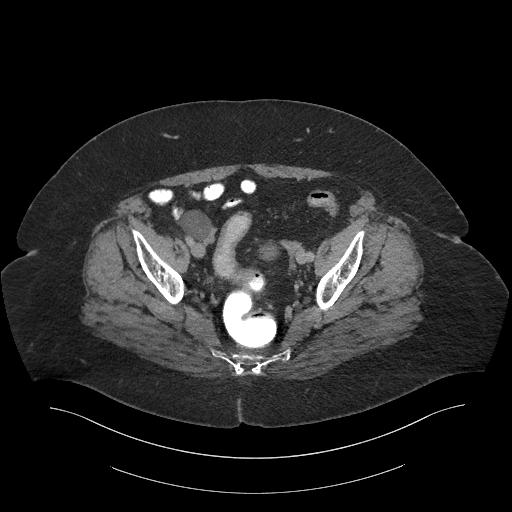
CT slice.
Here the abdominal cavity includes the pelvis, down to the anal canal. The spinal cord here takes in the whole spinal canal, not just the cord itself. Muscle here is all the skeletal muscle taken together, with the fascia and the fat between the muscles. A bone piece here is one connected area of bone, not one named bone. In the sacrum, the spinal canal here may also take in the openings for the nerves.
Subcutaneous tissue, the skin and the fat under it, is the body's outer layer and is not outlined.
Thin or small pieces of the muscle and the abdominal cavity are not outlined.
bones 1: (360, 230) (364, 230) (365, 233) (363, 239) (363, 252) (362, 253) (362, 256) (357, 271) (351, 280) (345, 286) (333, 304) (326, 310) (321, 310) (318, 307) (315, 301) (316, 287) (318, 284) (318, 282) (320, 278) (339, 260) (344, 253) (345, 250) (348, 247) (355, 234)
bones 2: (131, 228) (133, 228) (140, 232) (151, 246) (153, 250) (165, 262) (171, 266) (181, 275) (181, 277) (184, 282) (184, 295) (182, 299) (178, 303) (176, 304) (170, 303) (148, 278) (142, 269) (142, 267) (138, 260) (138, 257) (136, 252) (136, 246) (132, 236)
bones 3: (288, 347) (290, 348) (290, 357) (288, 360) (277, 360) (270, 362) (261, 367) (261, 372) (258, 375) (250, 373) (248, 369) (246, 369) (241, 375) (236, 375) (235, 370) (230, 363) (213, 356) (211, 352) (212, 348) (221, 350) (229, 355) (236, 352) (246, 352) (269, 356)
muscle: (236, 163) (334, 171) (374, 189) (385, 210) (409, 226) (423, 261) (423, 320) (413, 333) (309, 379) (259, 375) (262, 367) (290, 359) (288, 346) (269, 355) (260, 352) (276, 347) (298, 308) (314, 302) (326, 311) (338, 299) (358, 271) (366, 232) (358, 230) (338, 260) (316, 277) (320, 244) (348, 225) (350, 208) (361, 195) (348, 181) (332, 176) (264, 177) (251, 168) (143, 193) (153, 229) (187, 248) (183, 275) (140, 231) (131, 227) (130, 232) (141, 269) (162, 296) (176, 305) (185, 289) (187, 298) (211, 318) (219, 337) (245, 351) (229, 354) (212, 347) (212, 356) (230, 364) (232, 366) (236, 376) (241, 376) (246, 370) (256, 375) (224, 379) (194, 377) (86, 328) (78, 305) (85, 294) (84, 257) (92, 230) (111, 202) (151, 181)
abdominal cavity: (240, 169) (298, 181) (332, 177) (348, 182) (360, 195) (349, 208) (347, 225) (316, 250) (314, 301) (298, 307) (281, 340) (262, 353) (224, 341) (209, 314) (188, 298) (182, 277) (190, 262) (188, 248) (181, 239) (154, 229) (144, 197) (154, 187) (186, 188)
spinal cord: (243, 365) (244, 366) (245, 366) (246, 366) (247, 366) (248, 366) (249, 366) (250, 366) (251, 365) (252, 365) (253, 365) (252, 366) (251, 366) (250, 367) (249, 367) (248, 368) (247, 368) (246, 368) (245, 367) (244, 366) (243, 366)
torso: (258, 98) (311, 102) (360, 117) (404, 144) (442, 183) (467, 219) (461, 239) (488, 259) (508, 289) (484, 369) (440, 378) (351, 415) (270, 428) (192, 424) (70, 381) (34, 381) (10, 327) (1, 271) (25, 253) (16, 234) (37, 192) (86, 141) (130, 116) (189, 101)